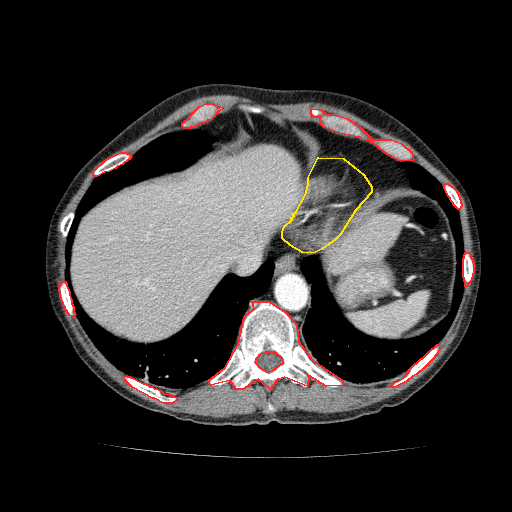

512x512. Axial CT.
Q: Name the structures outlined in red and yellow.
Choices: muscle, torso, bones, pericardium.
A: red: bones; yellow: pericardium.
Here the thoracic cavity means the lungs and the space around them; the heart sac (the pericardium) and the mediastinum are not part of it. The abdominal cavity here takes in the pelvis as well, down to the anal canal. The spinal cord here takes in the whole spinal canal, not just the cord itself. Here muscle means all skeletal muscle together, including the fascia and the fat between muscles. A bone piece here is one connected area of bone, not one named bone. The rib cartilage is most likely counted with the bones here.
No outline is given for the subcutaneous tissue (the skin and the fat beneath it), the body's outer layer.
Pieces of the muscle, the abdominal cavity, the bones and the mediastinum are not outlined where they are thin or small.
{"bones":[{"outer":[[252,301],[269,301],[285,312],[296,324],[298,341],[311,359],[342,380],[342,385],[326,386],[308,375],[307,386],[284,377],[277,379],[270,389],[258,379],[242,389],[236,389],[230,380],[210,385],[208,380],[225,367],[238,344],[244,316],[254,308]],"hole":[[265,351],[274,351],[281,357],[281,359],[282,360],[282,362],[281,364],[280,364],[273,370],[269,372],[267,372],[263,370],[261,368],[260,368],[255,362],[256,360],[256,358],[259,355],[259,354]]},[[311,108],[319,109],[327,114],[333,114],[347,118],[361,128],[372,139],[391,139],[401,143],[411,152],[413,160],[400,161],[387,154],[370,141],[361,139],[359,137],[339,133],[324,127],[321,124],[320,117],[314,117],[311,114]],[[205,103],[212,103],[217,107],[219,107],[220,106],[222,107],[222,109],[218,111],[211,119],[209,120],[207,120],[204,122],[199,123],[194,127],[190,127],[189,128],[184,128],[182,126],[182,123],[185,120],[189,118],[191,114],[199,106]],[[126,375],[127,376],[130,376],[143,383],[145,383],[149,386],[151,386],[154,388],[156,388],[160,390],[164,394],[168,393],[170,396],[174,396],[176,397],[177,399],[172,403],[163,403],[154,398],[152,398],[132,387],[125,380],[124,376]],[[437,344],[438,344],[439,348],[436,354],[434,356],[434,357],[420,371],[419,371],[416,374],[412,376],[406,381],[394,387],[390,387],[390,386],[394,382],[403,377],[408,371],[408,370],[415,363],[416,363],[421,358],[422,358],[432,348],[433,348]],[[120,152],[125,152],[126,153],[128,153],[130,154],[131,156],[129,159],[128,159],[122,164],[117,166],[115,168],[109,171],[104,172],[97,176],[94,176],[93,175],[93,172],[94,170],[100,164],[101,164],[106,159]],[[62,281],[65,281],[66,283],[66,285],[69,292],[69,295],[71,299],[71,303],[73,306],[73,310],[75,314],[74,316],[71,316],[69,315],[69,314],[65,309],[65,307],[63,305],[63,303],[60,296],[60,292],[59,291],[59,286]],[[465,252],[468,252],[470,254],[470,257],[472,259],[472,261],[473,262],[473,273],[472,274],[472,277],[471,278],[470,281],[467,284],[467,285],[466,286],[465,286],[465,282],[464,281],[464,278],[463,277],[463,258],[464,257],[464,254],[465,253]],[[445,183],[447,183],[448,184],[449,184],[456,190],[456,191],[459,196],[459,198],[460,199],[460,202],[461,203],[461,206],[459,209],[458,209],[453,204],[453,203],[451,201],[450,198],[448,196],[448,195],[444,188],[444,186],[443,185]]],"pericardium":[[[318,157],[343,158],[363,174],[371,186],[371,192],[355,210],[340,234],[335,239],[321,249],[315,252],[307,253],[302,252],[290,245],[282,238],[282,232],[284,226],[292,219],[290,218],[294,215],[292,214],[296,211],[305,195],[308,184],[308,177]]],"thoracic_cavity":[[[186,129],[213,136],[211,149],[91,207],[77,224],[69,263],[83,311],[116,338],[143,345],[182,330],[226,275],[248,276],[273,263],[266,291],[247,304],[224,367],[192,387],[159,389],[119,369],[88,335],[65,280],[65,252],[94,179],[158,136]],[[405,161],[431,174],[457,209],[462,296],[447,331],[407,370],[372,383],[348,381],[314,361],[299,341],[312,303],[312,284],[301,267],[306,257],[318,257],[339,311],[368,336],[419,336],[452,307],[457,258],[450,221],[436,199],[410,183],[399,164]]],"spinal_cord":[[[265,351],[274,351],[281,357],[281,359],[282,360],[282,362],[281,364],[280,364],[273,370],[269,372],[267,372],[263,370],[261,368],[260,368],[255,362],[256,360],[256,358],[259,355],[259,354]]],"muscle":[{"outer":[[216,94],[236,95],[248,98],[258,103],[291,104],[302,102],[319,102],[339,107],[353,113],[369,123],[386,132],[391,133],[407,142],[415,148],[434,166],[439,169],[453,183],[462,195],[465,202],[466,210],[468,215],[469,228],[473,244],[473,252],[475,259],[475,275],[471,290],[471,295],[467,305],[467,308],[464,311],[464,317],[457,335],[454,338],[447,350],[427,372],[405,389],[381,401],[365,406],[362,408],[341,412],[319,413],[314,411],[306,411],[298,409],[294,410],[283,409],[280,411],[276,411],[273,404],[270,401],[268,401],[265,408],[262,411],[263,413],[256,411],[249,414],[235,414],[229,417],[210,417],[209,416],[188,414],[172,411],[161,406],[158,406],[141,398],[124,388],[109,376],[88,355],[76,338],[64,315],[61,304],[59,301],[59,296],[57,291],[58,290],[55,281],[56,268],[54,266],[54,260],[56,257],[56,233],[57,232],[57,224],[61,213],[82,183],[84,178],[93,167],[99,162],[135,140],[152,128],[159,121],[187,102],[198,97],[207,95],[215,95]],"hole":[[205,103],[222,107],[216,116],[247,104],[320,125],[311,108],[347,118],[372,139],[401,143],[414,162],[456,190],[473,273],[436,354],[420,371],[394,387],[407,370],[372,383],[343,379],[338,387],[308,375],[307,386],[283,377],[270,389],[258,379],[242,389],[230,380],[205,380],[185,389],[160,387],[177,398],[163,403],[132,387],[69,315],[59,291],[66,267],[63,217],[76,210],[106,159],[133,155],[183,129]]}],"torso":[[[207,83],[327,90],[365,100],[410,128],[465,188],[481,248],[481,275],[473,314],[449,359],[404,402],[327,424],[271,421],[265,425],[205,425],[127,400],[99,379],[73,349],[52,309],[45,278],[46,235],[57,203],[82,166],[128,124],[164,98]]],"abdominal_cavity":[[[270,109],[304,121],[299,124],[318,138],[319,156],[300,203],[259,266],[244,276],[226,274],[195,316],[163,340],[136,343],[100,326],[80,305],[70,277],[72,244],[82,216],[122,188],[183,170],[212,146],[230,142],[239,132],[242,110],[261,114]],[[391,186],[405,186],[420,189],[427,196],[437,201],[448,218],[455,244],[456,258],[452,302],[448,313],[425,332],[413,337],[401,339],[384,339],[368,335],[358,330],[344,317],[328,288],[319,259],[320,253],[318,252],[341,234],[356,210],[372,192]]],"mediastinum":[[[280,231],[281,238],[300,252],[319,253],[319,257],[316,254],[306,256],[300,264],[301,271],[311,284],[311,303],[299,333],[291,317],[269,300],[260,301],[252,300],[251,302],[253,308],[245,314],[249,302],[253,298],[264,294],[270,285],[274,263],[271,260],[260,260],[268,253]],[[302,122],[319,124],[333,132],[370,142],[387,155],[399,161],[398,164],[405,172],[409,183],[412,186],[419,188],[409,187],[405,185],[391,185],[372,191],[372,186],[364,174],[349,161],[340,156],[320,156],[318,136],[309,128],[302,126],[300,124]],[[234,108],[237,108],[241,110],[241,113],[238,114],[238,132],[230,141],[224,144],[219,146],[213,146],[212,144],[216,140],[216,138],[213,135],[209,134],[205,130],[201,128],[190,128],[194,128],[200,124],[207,122],[214,117],[220,114],[223,114]]]}